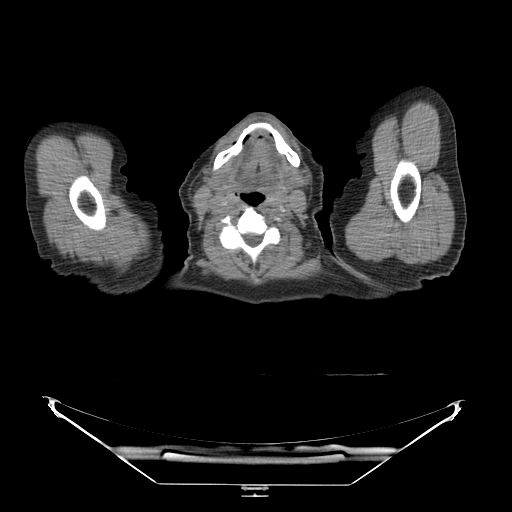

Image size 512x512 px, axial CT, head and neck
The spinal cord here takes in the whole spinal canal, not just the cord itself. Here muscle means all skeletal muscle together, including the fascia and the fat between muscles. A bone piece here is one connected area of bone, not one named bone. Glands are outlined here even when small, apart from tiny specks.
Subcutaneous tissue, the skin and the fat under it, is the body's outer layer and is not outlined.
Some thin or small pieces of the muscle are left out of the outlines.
{"left_arm":[[[417,84],[435,88],[452,112],[467,224],[464,247],[453,271],[448,276],[424,279],[421,289],[402,292],[362,278],[330,252],[328,214],[333,198],[342,193],[348,179],[361,174],[359,160],[365,155],[356,152],[355,141],[368,127],[369,116],[385,101]]],"spinal_cord":[[[248,233],[251,233],[252,234],[255,234],[256,235],[262,235],[262,239],[261,240],[261,241],[259,243],[258,243],[254,246],[251,246],[250,245],[249,245],[245,242],[245,241],[242,236],[242,235],[243,234],[247,234]]],"bones":[{"outer":[[245,204],[253,206],[265,217],[267,223],[276,226],[280,232],[279,242],[266,245],[258,255],[254,265],[248,255],[240,247],[233,249],[226,248],[221,244],[219,239],[219,233],[223,226],[220,219],[228,214],[232,217],[231,221],[234,223],[243,211]],"hole":[[248,233],[251,233],[252,234],[255,234],[256,235],[262,235],[262,239],[261,240],[261,241],[259,243],[258,243],[254,246],[251,246],[250,245],[249,245],[245,242],[245,241],[242,236],[242,235],[243,234],[247,234]]},[[401,159],[406,159],[414,162],[419,171],[421,177],[421,190],[419,197],[419,203],[416,209],[415,214],[412,217],[410,221],[406,223],[402,222],[398,218],[390,201],[391,200],[390,198],[390,184],[391,183],[391,179],[393,177],[397,164]],[[81,175],[85,175],[87,176],[96,187],[102,196],[103,204],[105,209],[106,222],[105,223],[105,226],[101,230],[94,230],[89,228],[86,225],[85,225],[75,214],[74,210],[70,203],[70,201],[69,200],[69,188],[72,182],[77,177]],[[261,121],[269,123],[276,129],[296,152],[300,160],[299,166],[293,166],[283,154],[278,152],[275,147],[273,137],[268,131],[256,129],[246,136],[242,144],[242,149],[236,155],[214,170],[213,162],[217,154],[231,146],[238,139],[243,129],[249,124]]],"right_arm":[[[59,119],[89,121],[115,133],[127,153],[127,162],[120,169],[127,176],[126,189],[152,199],[157,205],[163,229],[165,265],[151,282],[133,294],[101,294],[80,278],[56,275],[50,269],[50,262],[40,259],[37,254],[25,207],[23,154],[39,126]]],"muscle":[{"outer":[[254,116],[265,116],[275,120],[298,144],[305,161],[311,170],[313,178],[313,195],[307,209],[309,232],[316,249],[325,256],[327,268],[338,274],[340,277],[322,276],[306,280],[279,279],[271,280],[260,285],[250,285],[239,280],[225,280],[212,274],[203,274],[197,267],[194,266],[194,261],[199,247],[199,238],[196,231],[196,214],[188,198],[189,186],[199,170],[208,161],[210,155],[220,140],[227,136],[245,120]],"holes":[[[254,192],[263,195],[263,199],[253,207],[265,217],[267,223],[276,226],[280,232],[279,242],[266,245],[258,255],[254,265],[240,247],[226,248],[219,239],[219,233],[223,226],[220,219],[228,214],[234,223],[243,211],[244,205],[248,203],[241,195]],[[261,121],[269,123],[276,129],[296,152],[300,160],[299,166],[293,166],[283,154],[278,152],[275,147],[273,137],[268,131],[256,129],[246,136],[242,144],[242,149],[236,155],[214,170],[213,162],[217,154],[231,146],[238,139],[243,129],[249,124]],[[295,171],[296,172],[298,172],[299,173],[300,173],[303,176],[303,177],[304,178],[304,182],[303,183],[303,184],[302,185],[296,185],[295,184],[292,184],[291,183],[290,183],[288,181],[288,177],[290,175],[290,174],[291,174],[293,172],[294,172]],[[218,171],[223,171],[226,174],[226,175],[228,177],[228,182],[227,183],[227,184],[226,185],[222,185],[221,184],[220,184],[219,183],[218,183],[214,179],[214,175]]]},{"outer":[[423,97],[428,98],[435,104],[440,117],[442,141],[441,164],[457,216],[450,249],[447,254],[439,260],[413,266],[380,264],[358,259],[345,246],[343,228],[363,200],[367,189],[367,184],[372,173],[371,138],[374,130],[384,116],[392,110],[411,99]],"hole":[[401,159],[406,159],[414,162],[419,171],[421,177],[421,190],[419,197],[419,203],[416,209],[415,214],[412,217],[410,221],[406,223],[402,222],[398,218],[390,201],[391,200],[390,198],[390,184],[391,183],[391,179],[393,177],[397,164]]},{"outer":[[76,131],[91,131],[103,136],[110,141],[114,150],[113,167],[116,185],[129,206],[139,213],[151,228],[153,238],[151,253],[142,263],[128,269],[121,274],[96,270],[63,258],[56,253],[47,241],[42,223],[35,177],[35,148],[39,140],[49,133]],"hole":[[81,175],[85,175],[87,176],[96,187],[102,196],[103,204],[105,209],[106,222],[105,223],[105,226],[101,230],[94,230],[89,228],[86,225],[85,225],[75,214],[74,210],[70,203],[70,201],[69,200],[69,188],[72,182],[77,177]]}],"head_and_neck":[{"outer":[[254,111],[269,112],[286,124],[294,135],[311,150],[314,158],[323,168],[322,209],[315,215],[321,231],[320,259],[313,278],[292,301],[251,304],[201,292],[195,287],[182,266],[188,248],[186,235],[188,217],[178,197],[178,188],[200,153],[246,114]],"hole":[[254,192],[256,192],[257,193],[259,193],[260,194],[263,195],[263,199],[261,201],[260,201],[258,203],[257,203],[254,205],[252,205],[250,203],[248,203],[248,202],[247,201],[245,201],[241,197],[241,195],[242,194],[248,194],[249,193],[253,193]]}],"torso":[[[321,233],[323,241],[325,245],[328,247],[329,252],[353,273],[362,279],[366,279],[401,292],[397,295],[386,299],[375,300],[358,300],[348,297],[338,297],[334,295],[330,295],[322,299],[295,300],[307,288],[314,278],[314,275],[317,271],[321,259]],[[180,267],[182,267],[184,269],[184,270],[185,271],[188,278],[191,281],[191,282],[194,286],[194,287],[198,291],[174,291],[173,292],[167,292],[166,293],[158,293],[157,292],[155,292],[154,291],[155,288],[172,271],[173,271],[175,269],[177,269]]],"submandibular_glands":[[[295,171],[296,172],[298,172],[299,173],[300,173],[303,176],[303,177],[304,178],[304,182],[303,183],[303,184],[302,185],[296,185],[295,184],[292,184],[291,183],[290,183],[288,181],[288,177],[290,175],[290,174],[291,174],[293,172],[294,172]],[[218,171],[223,171],[226,174],[226,175],[228,177],[228,182],[227,183],[227,184],[226,185],[222,185],[221,184],[220,184],[219,183],[218,183],[214,179],[214,175]]]}